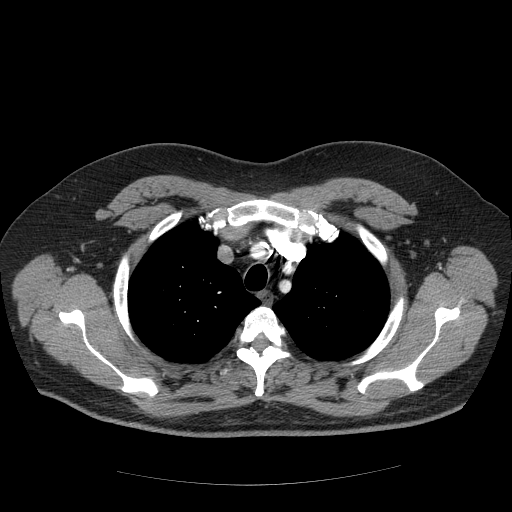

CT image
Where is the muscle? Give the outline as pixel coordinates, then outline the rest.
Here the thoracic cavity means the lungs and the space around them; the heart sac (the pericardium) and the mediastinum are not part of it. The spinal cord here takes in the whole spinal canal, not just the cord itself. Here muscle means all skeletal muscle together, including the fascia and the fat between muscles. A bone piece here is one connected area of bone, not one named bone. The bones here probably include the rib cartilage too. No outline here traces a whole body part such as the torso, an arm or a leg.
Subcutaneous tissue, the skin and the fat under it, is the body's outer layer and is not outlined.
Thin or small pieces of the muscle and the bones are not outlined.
The muscle is outlined by 155,174 259,194 337,176 378,182 419,207 417,225 392,237 412,282 455,245 485,254 498,279 489,324 466,361 425,386 417,368 441,327 461,312 456,305 439,305 433,337 412,361 357,383 365,394 373,382 396,379 413,393 376,414 335,417 257,400 154,417 41,354 20,326 11,285 16,273 43,253 107,285 130,239 99,225 94,213 131,182; inner edges: 255,198 310,209 356,238 350,222 361,223 386,248 390,308 398,296 404,297 399,326 375,356 346,365 357,354 318,360 290,343 292,357 278,359 266,370 260,397 254,394 257,379 253,368 235,355 231,342 203,362 169,361 136,335 137,344 130,339 113,300 114,275 122,254 131,246 131,273 145,252 150,231 174,210 183,209 180,221 184,222, then 76,308 83,313 85,332 89,343 124,374 136,378 150,377 159,388 155,395 149,396 143,392 129,393 118,388 123,383 121,377 87,348 82,337 81,329 74,323 64,324 60,320 58,316 60,311 68,312, then 228,364 228,365 229,366 229,367 230,368 229,369 229,370 228,371 228,372 227,373 226,373 225,374 221,374 220,373 220,370 224,366 225,366 226,365 227,365. The thoracic cavity appears in 2 outlined pieces: piece 1: 194,218 196,218 202,230 211,232 217,238 216,258 236,270 240,276 243,288 259,300 260,304 248,312 230,342 211,358 199,363 179,363 169,361 154,353 134,332 128,310 128,284 132,271 148,247 179,223; piece 2: 341,231 358,238 385,272 390,291 390,310 376,337 362,351 346,359 318,360 302,352 294,345 285,326 280,322 272,307 291,290 294,273 302,259 306,256 307,246 315,243 316,238 325,243 332,243 340,235. The bones appear in 8 outlined pieces: piece 1: 255,198 267,198 300,209 310,209 320,213 340,230 339,235 329,243 300,230 288,229 281,224 265,220 249,221 240,226 228,224 223,229 212,232 204,230 198,223 197,218 200,215 204,215 218,207 223,209; piece 2: 260,305 271,308 279,322 284,326 292,342 289,344 292,357 281,358 271,364 265,372 263,394 258,397 254,394 257,384 256,374 249,364 240,360 235,355 231,341 237,329 242,326 244,318 250,311 with a hole at 258,337 264,337 266,339 267,339 269,341 269,342 270,343 266,347 265,347 262,350 262,351 260,353 259,353 253,347 253,346 252,345 252,343 253,342 253,341 256,338 257,338; piece 3: 439,306 456,306 460,312 457,318 446,321 440,327 438,339 416,368 415,375 425,383 424,386 411,392 399,379 380,379 371,382 365,393 361,393 357,385 363,377 384,369 405,367 431,342 435,334 434,313; piece 4: 76,308 83,313 85,332 89,343 124,374 136,378 150,377 159,388 155,395 149,396 143,392 129,393 118,388 123,383 121,377 87,348 82,337 81,329 74,323 64,324 60,320 58,316 60,311 68,312; piece 5: 131,246 129,250 129,269 130,270 130,275 127,284 127,310 128,311 130,324 133,330 135,338 137,341 137,344 130,339 122,327 115,312 114,301 113,300 113,282 114,281 114,275 116,271 116,268 122,254; piece 6: 400,295 402,295 404,297 404,307 403,308 404,309 403,310 403,313 399,326 388,343 375,356 367,361 354,365 346,365 345,364 347,362 355,358 361,352 367,348 377,337 388,317 389,312 393,307 398,296; piece 7: 350,222 353,222 354,223 355,222 358,222 359,223 361,223 365,227 371,231 384,245 386,248 386,252 387,253 387,262 384,270 380,263 372,255 372,254 362,243 358,237 357,231 355,229 354,226 351,224; piece 8: 178,209 183,209 183,212 182,213 182,216 181,217 180,222 179,222 175,226 158,237 150,245 149,245 146,249 147,239 148,238 149,233 153,228 153,227 158,222 159,222 166,216 170,214 174,210 177,210. The mediastinum is outlined by 260,221 273,222 288,230 300,231 316,239 315,242 306,246 305,256 293,273 290,290 271,307 261,304 259,299 244,288 241,276 233,266 223,263 217,258 219,240 213,234 228,225 240,227 249,222. The spinal cord is outlined by 258,337 264,337 266,339 267,339 269,341 269,342 270,343 266,347 265,347 262,350 262,351 260,353 259,353 253,347 253,346 252,345 252,343 253,342 253,341 256,338 257,338.